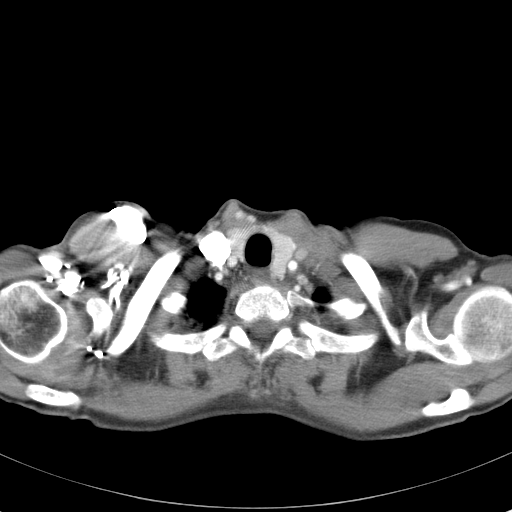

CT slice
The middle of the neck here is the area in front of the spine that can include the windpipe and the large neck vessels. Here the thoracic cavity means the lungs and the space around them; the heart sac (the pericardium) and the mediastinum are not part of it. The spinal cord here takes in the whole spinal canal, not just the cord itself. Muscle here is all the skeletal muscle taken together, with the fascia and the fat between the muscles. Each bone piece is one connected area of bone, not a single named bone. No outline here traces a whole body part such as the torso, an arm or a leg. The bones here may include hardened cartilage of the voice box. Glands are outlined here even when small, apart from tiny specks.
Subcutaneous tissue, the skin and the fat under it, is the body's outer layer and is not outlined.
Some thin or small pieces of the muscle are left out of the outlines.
The spinal cord is outlined by (260, 319) (267, 319) (274, 323) (276, 323) (278, 325) (278, 328) (274, 333) (272, 338) (270, 340) (270, 341) (265, 345) (259, 345) (258, 344) (254, 343) (254, 342) (249, 337) (248, 331) (246, 329) (246, 326) (248, 324) (252, 323) (255, 321) (257, 321). The middle of the neck is outlined by (255, 226) (267, 228) (272, 244) (269, 269) (273, 276) (284, 275) (297, 245) (307, 251) (307, 257) (293, 275) (281, 281) (227, 288) (217, 323) (202, 329) (186, 313) (186, 295) (191, 284) (206, 270) (205, 256) (197, 240) (218, 230) (226, 236) (234, 255) (242, 260). The thyroid glands appear in 2 outlined pieces: piece 1: (268, 228) (274, 228) (279, 232) (281, 232) (288, 236) (290, 236) (296, 244) (296, 248) (292, 256) (287, 262) (285, 266) (284, 273) (283, 275) (280, 277) (279, 276) (275, 276) (273, 275) (270, 269) (271, 264) (272, 263) (272, 258) (273, 257) (273, 244) (268, 231); piece 2: (235, 227) (250, 227) (252, 229) (252, 232) (245, 241) (245, 243) (244, 244) (244, 247) (243, 248) (243, 257) (242, 259) (239, 259) (235, 255) (230, 245) (230, 242) (226, 235) (227, 234) (227, 232) (228, 230) (229, 230) (231, 228) (234, 228). The muscle appears in 2 outlined pieces: piece 1: (230, 202) (262, 220) (295, 211) (315, 227) (346, 235) (364, 222) (437, 234) (459, 249) (447, 263) (452, 268) (470, 259) (482, 266) (511, 261) (511, 292) (497, 284) (472, 291) (442, 338) (431, 332) (426, 307) (412, 311) (402, 341) (369, 262) (352, 250) (339, 254) (393, 345) (402, 343) (407, 352) (455, 366) (511, 354) (511, 392) (475, 405) (467, 389) (454, 386) (445, 398) (421, 407) (425, 417) (363, 432) (294, 403) (250, 402) (236, 394) (174, 417) (134, 421) (80, 407) (83, 400) (74, 391) (42, 383) (25, 386) (30, 399) (1, 392) (0, 348) (23, 363) (38, 364) (69, 331) (68, 312) (39, 281) (27, 277) (0, 288) (1, 253) (57, 249) (81, 221) (110, 211) (131, 213) (150, 229) (183, 240) with holes at (255, 226) (274, 228) (307, 251) (293, 275) (271, 284) (283, 294) (294, 290) (310, 298) (324, 287) (331, 301) (348, 296) (367, 305) (346, 321) (306, 306) (296, 308) (298, 318) (341, 334) (376, 331) (378, 340) (356, 353) (319, 351) (311, 359) (280, 349) (260, 369) (243, 347) (209, 361) (200, 351) (154, 345) (150, 331) (202, 330) (185, 309) (171, 314) (160, 308) (162, 297) (175, 290) (186, 295) (205, 274) (197, 240) (213, 230) (226, 235) and at (177, 246) (181, 248) (182, 252) (181, 258) (160, 290) (160, 292) (153, 304) (138, 335) (130, 346) (121, 354) (116, 357) (110, 356) (107, 353) (104, 352) (111, 339) (117, 333) (121, 325) (121, 322) (124, 316) (128, 302) (143, 281) (150, 268) (157, 258) (169, 248) and at (96, 296) (105, 299) (109, 310) (113, 313) (113, 316) (110, 323) (110, 333) (107, 336) (106, 333) (104, 332) (100, 336) (97, 337) (96, 336) (93, 336) (90, 338) (90, 340) (88, 340) (88, 334) (92, 328) (92, 318) (86, 311) (86, 305) (85, 303) (89, 298); piece 2: (227, 295) (227, 296) (230, 298) (232, 298) (236, 295) (236, 297) (235, 298) (235, 300) (233, 302) (233, 304) (231, 308) (231, 312) (227, 317) (227, 319) (225, 319) (222, 321) (218, 322) (219, 318) (222, 314) (222, 312) (224, 309) (224, 303) (226, 300). The bones appear in 9 outlined pieces: piece 1: (257, 284) (283, 294) (294, 290) (318, 303) (297, 307) (298, 318) (341, 334) (376, 331) (378, 340) (356, 353) (319, 351) (311, 359) (280, 349) (260, 369) (243, 347) (214, 361) (200, 351) (161, 349) (149, 340) (150, 331) (208, 329) (228, 319) (237, 297) (230, 291), around a hole outlined by (260, 319) (267, 319) (274, 323) (276, 323) (278, 325) (278, 328) (274, 333) (272, 338) (270, 340) (270, 341) (265, 345) (259, 345) (258, 344) (254, 343) (254, 342) (249, 337) (248, 331) (246, 329) (246, 326) (248, 324) (252, 323) (255, 321) (257, 321); piece 2: (345, 251) (361, 254) (374, 271) (385, 294) (381, 303) (402, 342) (412, 312) (426, 308) (430, 332) (442, 339) (452, 332) (454, 315) (472, 292) (484, 285) (504, 287) (511, 293) (511, 353) (490, 362) (455, 365) (407, 351) (402, 342) (393, 344) (342, 263) (340, 254); piece 3: (27, 278) (33, 279) (39, 282) (40, 285) (43, 287) (50, 297) (67, 312) (67, 315) (68, 316) (68, 331) (65, 339) (55, 348) (53, 348) (51, 350) (50, 354) (45, 359) (38, 363) (26, 363) (23, 362) (13, 357) (0, 347) (0, 289) (14, 281) (26, 279); piece 4: (177, 246) (181, 248) (182, 252) (181, 258) (160, 290) (160, 292) (153, 304) (138, 335) (130, 346) (121, 354) (116, 357) (110, 356) (107, 353) (104, 352) (111, 339) (117, 333) (121, 325) (121, 322) (124, 316) (128, 302) (143, 281) (150, 268) (157, 258) (169, 248); piece 5: (29, 383) (37, 383) (38, 384) (46, 385) (49, 387) (52, 387) (59, 390) (69, 390) (72, 391) (81, 398) (82, 404) (78, 408) (75, 408) (71, 406) (67, 407) (64, 406) (55, 406) (54, 405) (42, 403) (39, 401) (36, 401) (31, 399) (25, 394) (26, 386); piece 6: (454, 387) (459, 387) (467, 390) (469, 392) (470, 395) (475, 400) (475, 404) (474, 405) (466, 409) (456, 411) (444, 415) (438, 415) (437, 416) (426, 417) (421, 414) (420, 411) (422, 407) (430, 402) (433, 401) (440, 401) (445, 399) (450, 394) (452, 388); piece 7: (96, 296) (105, 299) (109, 310) (113, 313) (113, 316) (110, 323) (110, 333) (107, 336) (106, 333) (104, 332) (100, 336) (97, 337) (96, 336) (93, 336) (90, 338) (90, 340) (88, 340) (88, 334) (92, 328) (92, 318) (86, 311) (86, 305) (85, 303) (89, 298); piece 8: (343, 296) (348, 296) (358, 302) (359, 301) (360, 302) (364, 302) (366, 303) (367, 306) (365, 310) (359, 316) (358, 316) (354, 319) (351, 319) (350, 320) (347, 320) (346, 321) (342, 321) (337, 318) (333, 318) (329, 314) (329, 312) (322, 305) (330, 301) (338, 299); piece 9: (175, 290) (185, 295) (187, 298) (186, 307) (185, 309) (182, 312) (182, 313) (180, 314) (171, 314) (170, 313) (168, 313) (166, 312) (164, 310) (160, 308) (160, 300) (161, 298) (165, 296) (168, 293) (172, 291) (174, 291). The thoracic cavity is outlined by (318, 287) (324, 287) (327, 290) (327, 292) (329, 295) (329, 299) (330, 300) (327, 302) (325, 302) (323, 303) (321, 305) (325, 309) (323, 311) (319, 311) (318, 310) (317, 307) (318, 307) (320, 304) (318, 302) (315, 301) (311, 298) (313, 292) (315, 290) (315, 289).